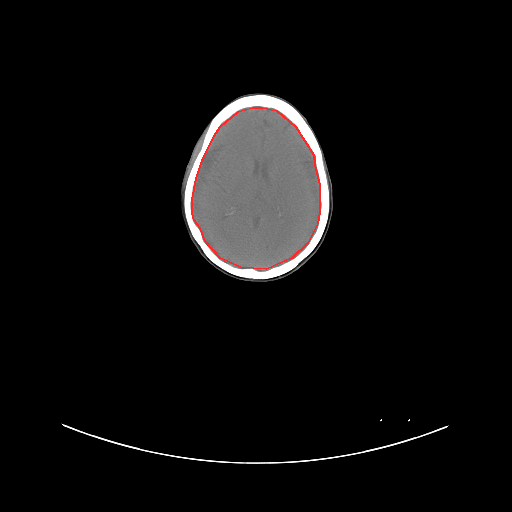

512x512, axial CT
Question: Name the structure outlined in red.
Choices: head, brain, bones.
Answer: red: brain.
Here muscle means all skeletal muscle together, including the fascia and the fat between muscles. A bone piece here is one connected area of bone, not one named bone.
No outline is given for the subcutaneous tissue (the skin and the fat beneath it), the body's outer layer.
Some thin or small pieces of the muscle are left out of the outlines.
{"brain":[[[252,107],[262,107],[276,110],[295,126],[313,154],[314,165],[319,184],[319,212],[317,223],[307,243],[291,258],[266,269],[240,267],[220,258],[205,241],[200,228],[194,220],[192,213],[192,199],[196,178],[202,160],[214,135],[220,126],[238,111]]],"muscle":[[[203,136],[202,138],[202,142],[201,143],[200,148],[197,152],[192,162],[192,164],[190,167],[190,169],[188,172],[188,174],[186,178],[186,181],[184,185],[184,188],[184,182],[185,181],[185,178],[187,174],[187,171],[189,168],[189,166],[191,163],[191,161],[195,153],[196,148],[200,140]]],"head":[[[250,92],[277,95],[293,104],[307,118],[323,146],[333,185],[333,215],[329,231],[319,250],[309,261],[291,275],[283,279],[265,283],[240,281],[220,273],[209,265],[200,256],[188,238],[179,209],[179,189],[184,169],[202,130],[226,104],[234,98]]],"bones":[{"outer":[[251,94],[268,94],[281,98],[296,108],[304,117],[311,127],[322,151],[329,188],[328,219],[324,231],[315,247],[295,267],[287,272],[263,279],[238,276],[212,262],[190,233],[183,206],[184,189],[187,178],[201,148],[204,133],[210,120],[229,102]],"hole":[[252,107],[262,107],[276,110],[295,126],[313,154],[314,165],[319,184],[319,212],[317,223],[307,243],[291,258],[266,269],[240,267],[220,258],[205,241],[200,228],[194,220],[192,213],[192,199],[196,178],[202,160],[214,135],[220,126],[238,111]]}]}